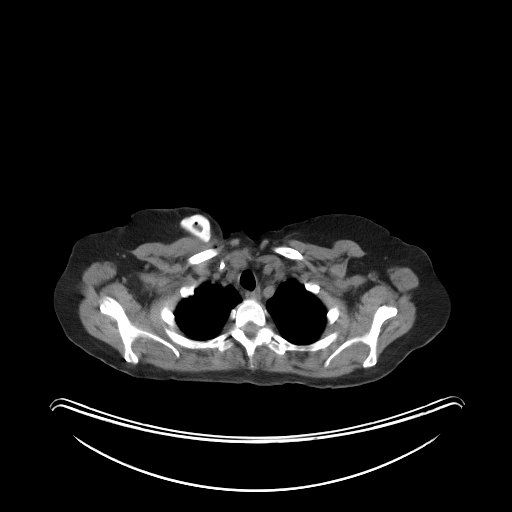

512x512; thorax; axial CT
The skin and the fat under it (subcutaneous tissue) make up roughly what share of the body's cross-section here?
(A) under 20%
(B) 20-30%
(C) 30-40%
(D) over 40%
Answer: (C) 30-40%
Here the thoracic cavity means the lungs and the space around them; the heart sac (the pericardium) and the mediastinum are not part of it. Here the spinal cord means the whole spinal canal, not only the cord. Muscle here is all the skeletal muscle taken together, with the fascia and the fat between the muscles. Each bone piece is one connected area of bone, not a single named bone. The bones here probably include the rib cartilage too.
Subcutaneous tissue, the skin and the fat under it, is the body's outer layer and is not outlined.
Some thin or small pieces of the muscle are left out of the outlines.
{"left_arm":[[[404,241],[407,243],[414,244],[419,246],[428,254],[429,257],[431,259],[435,273],[444,285],[437,288],[434,288],[433,289],[423,289],[422,288],[419,288],[409,283],[400,274],[398,270],[398,267],[397,266],[397,253],[398,252],[398,249],[400,245]]],"bones":[{"outer":[[106,295],[121,305],[135,326],[169,342],[164,328],[170,327],[160,316],[164,306],[173,308],[178,333],[205,341],[230,328],[231,310],[246,298],[261,303],[274,330],[291,343],[309,344],[335,331],[338,336],[324,349],[288,350],[283,355],[260,345],[252,357],[253,368],[245,348],[237,341],[222,352],[173,342],[177,357],[164,344],[140,336],[131,345],[138,357],[133,364],[123,357],[116,320],[99,309],[99,300]],"hole":[[249,322],[251,322],[252,323],[253,323],[254,324],[255,324],[258,327],[258,329],[257,330],[257,331],[256,332],[256,333],[255,334],[255,335],[253,337],[249,337],[248,336],[247,336],[245,334],[245,333],[243,330],[243,327],[247,323],[248,323]]},[[382,305],[396,307],[397,313],[386,319],[380,327],[376,345],[377,361],[375,365],[366,368],[363,367],[362,364],[369,353],[369,347],[359,341],[344,348],[325,367],[324,363],[326,359],[338,346],[349,338],[363,335],[370,329],[374,313]],[[209,248],[216,248],[217,249],[218,249],[219,252],[217,255],[216,255],[213,257],[211,257],[208,259],[206,259],[203,261],[201,261],[198,263],[193,263],[192,264],[188,261],[188,259],[194,254],[195,254],[198,252],[200,252],[203,250],[208,249]],[[275,246],[287,246],[288,247],[291,247],[292,248],[294,248],[296,250],[297,250],[303,256],[303,258],[302,259],[291,259],[290,258],[285,257],[273,251],[272,249],[273,247]],[[333,306],[337,306],[338,307],[338,308],[339,309],[339,310],[340,311],[340,314],[338,316],[338,318],[333,323],[332,323],[331,324],[327,324],[327,318],[326,317],[326,314],[327,313],[327,310],[329,308],[330,308],[331,307],[332,307]],[[193,283],[194,283],[196,286],[194,289],[194,293],[192,295],[190,295],[189,296],[188,296],[185,298],[182,298],[180,295],[180,293],[179,292],[179,289],[182,286],[187,286],[188,285],[190,285]],[[304,282],[311,282],[312,283],[316,283],[317,284],[318,284],[318,285],[319,286],[319,288],[320,289],[318,295],[316,295],[315,294],[314,294],[313,293],[312,293],[311,292],[308,291],[305,288],[305,287],[303,284],[304,283]]],"right_arm":[[[89,233],[92,233],[93,234],[95,238],[96,246],[97,247],[97,255],[96,256],[96,259],[93,266],[85,274],[79,277],[76,277],[75,278],[68,278],[60,275],[65,268],[65,266],[67,263],[72,246],[74,243],[81,236]]],"spinal_cord":[[[249,322],[251,322],[252,323],[253,323],[254,324],[255,324],[258,327],[258,329],[257,330],[257,331],[256,332],[256,333],[255,334],[255,335],[253,337],[249,337],[248,336],[247,336],[245,334],[245,333],[243,330],[243,327],[247,323],[248,323]]],"thoracic_cavity":[[[289,277],[295,278],[303,285],[304,288],[308,292],[315,295],[326,309],[325,327],[320,334],[319,338],[309,343],[301,344],[294,343],[283,337],[275,330],[273,324],[269,319],[270,314],[265,306],[266,301],[273,294],[276,287],[281,281],[283,281]],[[206,280],[222,287],[228,286],[233,287],[240,293],[242,296],[242,299],[230,310],[228,315],[228,321],[224,325],[222,331],[219,334],[209,339],[201,340],[188,337],[182,332],[176,321],[174,310],[182,299],[185,299],[192,296],[195,293],[195,289]]],"mediastinum":[[[247,261],[257,264],[276,264],[279,266],[279,268],[284,274],[289,276],[280,281],[275,287],[272,294],[265,301],[264,305],[254,297],[243,298],[241,293],[233,286],[222,286],[207,280],[212,276],[218,266],[222,263],[233,265],[239,262]]],"muscle":[{"outer":[[185,235],[224,241],[239,238],[249,246],[257,246],[266,238],[296,239],[325,247],[338,239],[350,239],[366,253],[351,260],[350,274],[378,274],[387,281],[388,268],[405,266],[417,275],[419,285],[412,299],[415,321],[384,349],[378,361],[381,327],[398,313],[394,305],[380,305],[366,332],[349,337],[325,359],[323,366],[327,368],[347,347],[359,342],[368,347],[363,368],[337,377],[249,369],[180,372],[138,363],[132,345],[140,337],[164,345],[177,358],[180,353],[173,343],[222,353],[237,342],[253,369],[253,357],[260,346],[278,356],[288,351],[316,352],[339,336],[335,330],[320,337],[341,311],[337,305],[326,308],[317,296],[321,290],[318,283],[301,283],[276,263],[222,262],[199,285],[182,285],[178,289],[181,299],[174,309],[164,305],[159,310],[161,320],[169,327],[163,330],[170,341],[135,325],[115,298],[102,296],[98,309],[115,320],[122,357],[89,334],[80,321],[78,284],[83,271],[93,262],[111,261],[117,276],[126,277],[142,271],[145,264],[129,250],[146,242],[169,243]],"holes":[[[209,248],[216,248],[217,249],[218,249],[219,252],[217,255],[216,255],[213,257],[211,257],[208,259],[206,259],[203,261],[201,261],[198,263],[193,263],[192,264],[188,261],[188,259],[194,254],[195,254],[198,252],[200,252],[203,250],[208,249]],[[275,246],[287,246],[288,247],[291,247],[292,248],[294,248],[296,250],[297,250],[303,256],[303,258],[302,259],[291,259],[290,258],[285,257],[273,251],[272,249],[273,247]]]}],"torso":[[[179,206],[205,210],[225,237],[241,229],[254,237],[322,214],[366,217],[403,240],[396,266],[409,284],[446,287],[448,321],[389,374],[359,386],[132,377],[68,339],[54,311],[54,288],[60,276],[79,278],[94,266],[93,232],[122,225],[136,210]]]}